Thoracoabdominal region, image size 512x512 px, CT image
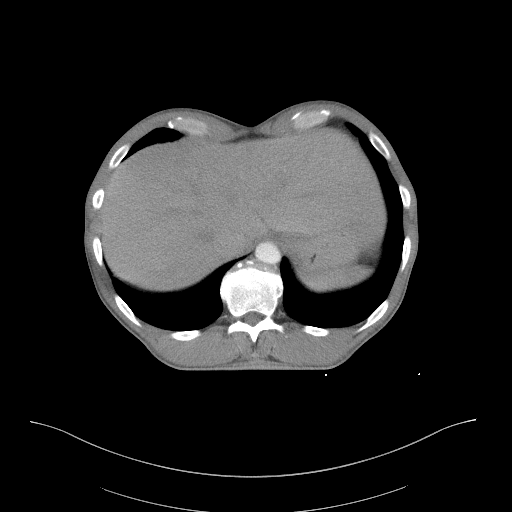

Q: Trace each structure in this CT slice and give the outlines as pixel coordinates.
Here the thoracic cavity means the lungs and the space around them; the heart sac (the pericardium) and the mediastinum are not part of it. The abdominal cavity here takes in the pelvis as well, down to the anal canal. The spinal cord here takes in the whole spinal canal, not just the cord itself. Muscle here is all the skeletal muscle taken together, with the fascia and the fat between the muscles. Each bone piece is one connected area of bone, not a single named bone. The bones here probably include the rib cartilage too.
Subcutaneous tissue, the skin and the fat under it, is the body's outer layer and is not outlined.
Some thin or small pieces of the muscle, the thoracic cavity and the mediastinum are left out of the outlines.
A: {"thoracic_cavity":[[[347,123],[366,135],[386,160],[397,184],[404,235],[400,263],[387,296],[365,319],[341,327],[304,324],[290,317],[282,306],[282,258],[287,260],[297,283],[318,296],[345,292],[364,284],[374,277],[384,258],[390,218],[388,204],[380,177],[368,153]],[[234,260],[238,260],[226,270],[219,284],[218,292],[223,304],[221,314],[214,321],[199,329],[195,328],[172,330],[158,327],[139,318],[129,305],[117,293],[111,277],[113,276],[129,288],[143,294],[173,294],[183,292],[197,286],[218,268]],[[161,127],[166,127],[170,129],[174,129],[179,131],[181,134],[179,137],[172,140],[162,141],[161,142],[155,142],[154,143],[148,144],[134,151],[133,153],[126,156],[130,150],[132,145],[133,145],[138,140],[139,140],[152,130],[156,128],[160,128]]],"torso":[[[317,98],[347,103],[369,118],[391,142],[415,189],[419,245],[399,308],[378,333],[345,362],[332,369],[182,371],[162,363],[104,306],[96,293],[86,262],[83,245],[84,201],[104,156],[112,144],[134,123],[163,108],[189,106],[252,125],[289,105]]],"muscle":[{"outer":[[312,103],[333,103],[334,104],[337,104],[354,111],[365,119],[381,135],[390,148],[410,187],[412,193],[413,201],[414,202],[415,245],[414,246],[414,252],[412,256],[412,259],[410,262],[408,272],[406,275],[406,278],[398,300],[386,317],[376,327],[358,341],[340,358],[328,364],[322,364],[321,365],[315,365],[314,364],[311,365],[292,365],[291,364],[286,364],[285,363],[277,363],[263,357],[251,357],[250,358],[229,360],[228,361],[221,362],[217,365],[186,366],[185,365],[180,365],[174,363],[164,358],[160,355],[138,332],[131,327],[109,304],[100,289],[100,287],[98,284],[95,275],[92,261],[90,257],[90,253],[87,245],[87,230],[88,229],[87,211],[88,210],[88,203],[89,202],[89,197],[91,194],[91,191],[103,166],[115,147],[132,130],[147,119],[149,119],[151,117],[161,113],[165,113],[171,111],[190,111],[191,112],[196,112],[214,118],[221,122],[223,122],[225,124],[227,124],[233,127],[235,129],[256,129],[273,122],[280,116],[292,109],[294,109],[303,105],[311,104]],"hole":[[323,108],[331,112],[328,120],[375,133],[390,153],[391,175],[410,195],[402,209],[410,252],[383,315],[358,332],[364,319],[317,336],[304,332],[281,300],[272,318],[284,332],[262,330],[255,342],[244,331],[227,333],[234,318],[224,304],[189,340],[140,318],[141,326],[131,321],[116,304],[111,274],[92,246],[100,237],[92,197],[106,188],[115,151],[177,116],[200,120],[210,136],[230,140],[277,134],[296,112]]}],"bones":[{"outer":[[245,259],[251,259],[264,267],[279,272],[283,284],[282,297],[272,318],[284,326],[284,332],[281,333],[274,329],[262,330],[258,334],[255,342],[253,342],[244,331],[227,333],[227,327],[234,318],[223,303],[219,292],[221,280],[227,270],[237,261]],"hole":[[249,312],[257,312],[258,313],[259,313],[262,316],[262,317],[261,318],[261,319],[260,319],[255,324],[254,324],[253,325],[251,325],[250,324],[249,324],[248,323],[245,322],[243,320],[243,319],[242,318],[243,317],[243,316],[245,314],[246,314]]},[[323,108],[330,110],[331,113],[328,117],[327,120],[321,123],[317,123],[316,124],[314,124],[307,127],[304,127],[303,128],[295,128],[293,126],[293,124],[290,121],[290,117],[293,114],[298,111],[305,112],[306,111],[310,111],[311,110],[319,110]],[[177,116],[181,116],[185,118],[187,117],[190,117],[191,118],[197,119],[204,122],[207,126],[207,130],[208,132],[202,135],[199,135],[196,133],[192,133],[187,131],[182,131],[181,130],[178,130],[174,128],[167,127],[167,122],[169,120],[173,120]],[[386,298],[388,298],[388,299],[389,300],[389,303],[388,304],[387,309],[385,311],[385,312],[383,314],[383,315],[378,320],[377,320],[371,325],[368,326],[366,328],[365,328],[358,332],[356,332],[356,330],[365,322],[365,320],[367,318],[367,317]],[[370,131],[371,131],[372,132],[373,132],[374,133],[375,133],[382,140],[382,141],[384,143],[384,144],[388,149],[388,150],[390,153],[390,159],[389,160],[387,160],[372,145],[372,144],[368,139],[368,137],[367,136],[367,134]],[[116,293],[128,305],[128,306],[131,309],[131,310],[134,313],[134,314],[138,318],[138,319],[141,324],[141,326],[138,326],[136,324],[135,324],[132,321],[131,321],[120,310],[120,309],[116,304],[116,303],[115,302],[115,300],[114,299],[114,295]],[[127,143],[130,144],[131,146],[129,150],[127,152],[126,155],[121,160],[121,161],[116,167],[112,169],[109,168],[108,165],[109,164],[109,161],[112,155],[119,147]],[[195,329],[198,329],[199,330],[200,330],[201,331],[201,334],[199,336],[198,336],[195,338],[193,338],[192,339],[190,339],[189,340],[178,340],[177,339],[174,339],[173,338],[172,338],[169,336],[169,334],[171,331],[181,331],[182,330],[194,330]],[[405,235],[408,235],[409,236],[410,238],[410,244],[411,245],[410,246],[409,256],[408,257],[407,262],[405,265],[405,267],[404,269],[401,272],[400,272],[399,271],[399,267],[401,263],[402,248],[403,247],[403,242],[404,241],[404,237]],[[303,325],[310,325],[311,326],[315,326],[316,327],[321,327],[322,328],[328,328],[329,329],[329,333],[327,335],[326,335],[325,336],[317,336],[316,335],[312,335],[311,334],[309,334],[308,333],[306,333],[305,332],[304,332],[302,330],[302,326]],[[95,236],[97,236],[99,238],[100,242],[101,243],[101,251],[102,252],[102,258],[103,259],[103,264],[102,265],[99,265],[99,264],[97,262],[96,258],[95,257],[95,255],[94,254],[94,252],[93,251],[92,241],[93,240],[93,238]],[[399,184],[402,184],[404,186],[405,186],[407,188],[409,192],[409,194],[410,195],[410,205],[407,209],[405,209],[403,208],[403,204],[402,203],[402,200],[401,199],[401,196],[400,195],[400,192],[399,191],[399,188],[398,187],[398,185]],[[99,188],[102,188],[104,190],[104,193],[103,194],[103,200],[102,201],[102,203],[101,204],[101,206],[100,207],[100,208],[99,209],[95,209],[93,207],[93,206],[92,205],[92,197],[93,196],[93,194],[95,192],[95,191],[97,189],[98,189]]],"abdominal_cavity":[[[328,120],[358,138],[387,204],[383,258],[369,280],[345,291],[311,293],[295,279],[282,251],[267,241],[179,292],[143,293],[111,275],[103,258],[100,209],[108,180],[124,158],[175,140],[180,131],[230,140],[251,133],[277,134],[291,123],[303,129]]],"spinal_cord":[[[249,312],[257,312],[258,313],[259,313],[262,316],[262,317],[261,318],[261,319],[260,319],[255,324],[254,324],[253,325],[251,325],[250,324],[249,324],[248,323],[245,322],[243,320],[243,319],[242,318],[243,317],[243,316],[245,314],[246,314]]],"mediastinum":[[[262,242],[271,243],[275,245],[281,251],[282,253],[282,257],[279,263],[279,271],[272,269],[267,266],[264,266],[256,262],[251,258],[245,258],[242,259],[244,256],[247,254],[249,254],[250,252],[251,252],[252,250],[258,245],[258,244]]]}